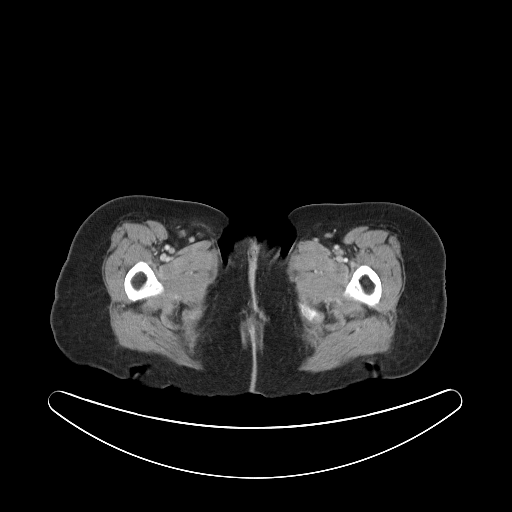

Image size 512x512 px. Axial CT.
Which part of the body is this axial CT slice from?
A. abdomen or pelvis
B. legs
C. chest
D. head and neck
Answer: A. abdomen or pelvis
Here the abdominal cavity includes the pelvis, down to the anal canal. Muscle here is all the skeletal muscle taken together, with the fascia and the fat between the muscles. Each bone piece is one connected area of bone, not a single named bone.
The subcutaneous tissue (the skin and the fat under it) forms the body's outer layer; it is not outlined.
Outlines:
muscle 1: [[360,225],[388,228],[397,235],[400,243],[405,287],[397,304],[397,323],[392,349],[387,353],[363,359],[357,358],[330,370],[316,373],[300,371],[297,367],[307,354],[306,343],[302,338],[303,326],[294,293],[287,284],[288,260],[300,240],[333,239]]; inner edges: [[360,265],[367,265],[373,270],[374,270],[378,275],[381,282],[381,296],[380,297],[379,301],[373,307],[371,307],[358,300],[346,297],[343,294],[344,290],[345,289],[345,287],[349,282],[352,276],[353,272],[356,269],[356,268],[357,268]], then [[299,303],[302,303],[311,308],[313,308],[314,309],[315,309],[319,313],[319,314],[321,317],[319,319],[317,319],[316,318],[314,318],[312,320],[309,320],[308,319],[307,319],[303,315],[302,315],[302,314],[300,312],[300,310],[298,307],[298,304]]
muscle 2: [[130,218],[159,221],[176,238],[188,243],[209,240],[218,252],[218,274],[215,283],[209,288],[208,306],[199,321],[199,335],[194,347],[205,367],[204,370],[179,366],[161,355],[117,345],[110,325],[110,297],[102,279],[101,266],[114,229],[122,221]]; inner edge: [[139,261],[144,261],[149,265],[149,266],[154,272],[157,279],[162,284],[163,286],[163,291],[161,293],[157,295],[149,296],[148,297],[146,297],[145,298],[143,298],[136,301],[131,301],[128,298],[124,289],[124,278],[128,270],[134,264]]
muscle 3: [[248,317],[255,317],[259,321],[259,322],[262,325],[263,325],[263,337],[262,338],[262,340],[257,345],[256,343],[249,341],[247,345],[246,346],[244,346],[242,342],[242,338],[241,337],[241,334],[240,333],[240,323],[243,319],[247,318]]; inner edge: [[251,324],[253,324],[254,325],[254,328],[255,329],[255,336],[254,336],[253,335],[252,335],[251,334],[250,334],[249,335],[249,331],[250,330],[250,328],[251,327]]
torso: [[129,194],[195,201],[224,212],[230,219],[219,240],[224,260],[245,233],[271,239],[285,254],[295,236],[286,215],[302,205],[405,205],[433,226],[444,246],[447,305],[439,341],[408,375],[276,398],[192,395],[75,364],[50,326],[55,283],[84,219]]
bones 1: [[139,261],[144,261],[149,265],[149,266],[154,272],[157,279],[162,284],[163,286],[163,291],[161,293],[157,295],[149,296],[148,297],[146,297],[145,298],[143,298],[136,301],[131,301],[128,298],[124,289],[124,278],[128,270],[134,264]]
bones 2: [[360,265],[367,265],[373,270],[374,270],[378,275],[381,282],[381,296],[380,297],[379,301],[373,307],[371,307],[358,300],[346,297],[343,294],[344,290],[345,289],[345,287],[349,282],[352,276],[353,272],[356,269],[356,268],[357,268]]
bones 3: [[299,303],[302,303],[311,308],[313,308],[314,309],[315,309],[319,313],[319,314],[321,317],[319,319],[317,319],[316,318],[314,318],[312,320],[309,320],[308,319],[307,319],[303,315],[302,315],[302,314],[300,312],[300,310],[298,307],[298,304]]
abdominal cavity: [[251,324],[253,324],[254,325],[254,328],[255,329],[255,336],[254,336],[253,335],[252,335],[251,334],[250,334],[249,335],[249,331],[250,330],[250,328],[251,327]]